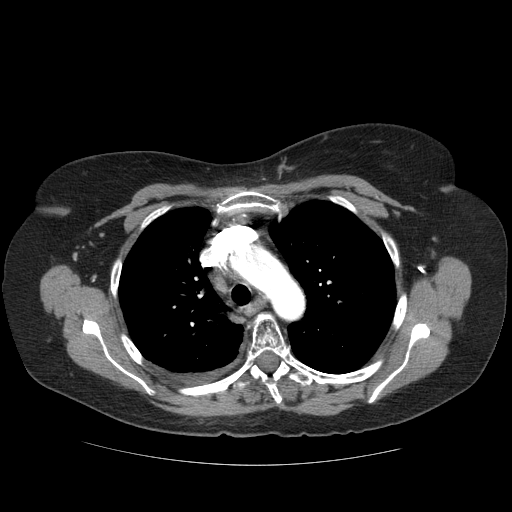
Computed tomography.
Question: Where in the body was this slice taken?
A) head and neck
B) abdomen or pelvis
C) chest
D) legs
Answer: C) chest
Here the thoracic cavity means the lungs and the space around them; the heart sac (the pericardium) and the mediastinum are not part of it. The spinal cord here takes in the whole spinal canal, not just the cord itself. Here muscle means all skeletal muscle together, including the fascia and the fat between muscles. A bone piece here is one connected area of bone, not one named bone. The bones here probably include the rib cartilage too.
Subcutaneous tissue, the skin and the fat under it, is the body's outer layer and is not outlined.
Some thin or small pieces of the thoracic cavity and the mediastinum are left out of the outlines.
{"mediastinum":[[[210,208],[228,216],[245,216],[252,210],[276,215],[277,219],[267,225],[268,233],[305,295],[303,316],[287,326],[286,335],[268,311],[258,313],[247,325],[250,333],[227,316],[230,309],[214,289],[208,276],[210,269],[199,261],[213,217]]],"bones":[{"outer":[[262,312],[273,315],[291,353],[313,369],[343,374],[380,358],[383,363],[369,377],[347,384],[301,385],[286,374],[276,384],[279,404],[247,372],[240,379],[249,383],[241,389],[230,385],[222,392],[182,394],[179,387],[217,381],[243,363],[248,325]],"hole":[[265,351],[270,351],[271,352],[272,352],[277,356],[277,357],[279,360],[278,361],[278,365],[277,366],[277,367],[271,373],[267,373],[266,372],[265,372],[263,370],[262,370],[260,368],[260,367],[258,364],[258,357],[263,352],[264,352]]},[[252,188],[278,199],[282,202],[293,202],[295,204],[280,220],[278,220],[277,215],[275,213],[269,211],[261,212],[252,209],[247,210],[244,213],[245,215],[241,213],[236,213],[233,215],[217,213],[211,208],[217,203],[224,200],[230,194],[239,189]],[[417,323],[425,323],[428,326],[429,328],[429,336],[426,338],[420,338],[413,344],[410,350],[409,357],[406,365],[381,390],[378,394],[377,398],[372,403],[367,403],[366,401],[371,395],[375,387],[403,362],[410,339],[412,327]],[[85,318],[93,320],[98,324],[101,336],[110,356],[126,370],[141,378],[151,388],[155,390],[156,392],[153,395],[148,394],[145,391],[144,388],[135,379],[122,372],[106,357],[102,346],[98,338],[95,335],[83,332],[82,325],[83,324],[83,320]],[[378,226],[380,226],[384,230],[387,231],[393,237],[395,241],[395,243],[396,244],[396,246],[398,250],[398,254],[399,255],[399,266],[396,270],[395,270],[394,265],[390,258],[390,256],[380,236],[380,231],[379,230],[379,228]],[[403,291],[405,292],[407,295],[407,307],[406,308],[406,311],[405,312],[405,316],[400,326],[397,330],[395,331],[394,330],[390,330],[389,331],[390,329],[390,326],[393,319],[393,316],[394,315],[395,308],[397,304],[397,300],[399,296]],[[119,254],[121,255],[121,258],[122,259],[122,266],[121,267],[121,272],[120,273],[120,276],[119,277],[119,284],[118,285],[118,288],[117,289],[117,299],[115,299],[113,297],[112,293],[110,290],[110,269],[111,268],[111,266],[112,265],[113,261]],[[122,332],[125,333],[130,338],[134,345],[137,348],[137,349],[140,352],[140,353],[143,356],[143,357],[146,360],[150,362],[147,362],[146,361],[144,363],[144,365],[140,365],[138,363],[134,361],[131,358],[131,357],[125,349],[120,339],[120,334]],[[172,202],[174,202],[175,204],[171,209],[162,215],[154,219],[147,226],[146,226],[138,235],[138,232],[139,231],[139,228],[141,225],[141,223],[144,218],[148,214],[160,206],[164,204],[167,204],[168,203],[171,203]],[[331,192],[334,192],[335,194],[340,195],[347,199],[355,207],[355,208],[357,210],[359,214],[363,218],[365,222],[364,222],[360,218],[359,218],[355,214],[354,214],[348,209],[338,204],[336,204],[332,202],[330,200],[325,199],[326,195]]],"torso":[[[364,122],[413,127],[442,142],[455,161],[455,183],[484,200],[504,228],[505,313],[489,360],[466,391],[411,420],[362,433],[198,437],[125,424],[30,376],[6,313],[3,264],[50,172],[76,158],[124,150],[245,162],[316,133]]],"muscle":[{"outer":[[323,173],[346,173],[356,175],[402,204],[410,205],[415,208],[417,212],[396,209],[386,221],[387,226],[400,246],[405,260],[410,266],[411,264],[415,266],[420,265],[422,267],[424,265],[430,272],[435,268],[437,260],[443,255],[452,255],[460,258],[469,266],[472,277],[469,299],[454,329],[449,343],[449,352],[442,363],[433,372],[399,388],[395,392],[373,403],[382,390],[407,365],[414,344],[418,340],[426,339],[430,336],[429,326],[425,322],[417,322],[411,327],[402,362],[374,387],[365,401],[366,404],[354,405],[337,414],[329,416],[297,414],[275,407],[243,415],[195,417],[164,410],[150,402],[137,391],[124,389],[111,380],[79,366],[68,355],[60,326],[54,321],[51,315],[45,312],[41,302],[39,294],[40,279],[44,272],[52,265],[64,263],[79,274],[83,283],[105,289],[110,264],[126,234],[123,230],[122,223],[118,219],[112,219],[90,230],[89,228],[101,218],[127,204],[136,191],[146,185],[158,182],[172,184],[192,182],[203,186],[260,184],[265,182],[286,182]],"holes":[[[252,188],[285,203],[324,200],[327,194],[334,192],[347,199],[378,236],[380,226],[393,237],[399,255],[399,266],[394,271],[396,296],[398,298],[405,292],[407,307],[398,329],[387,332],[367,362],[368,365],[383,359],[381,366],[369,377],[347,384],[313,381],[301,385],[286,374],[276,384],[282,398],[277,404],[268,388],[246,372],[240,379],[248,380],[249,383],[241,389],[230,385],[222,392],[193,396],[178,391],[179,387],[187,385],[185,383],[170,377],[151,362],[140,365],[125,349],[120,334],[129,334],[119,299],[115,299],[110,290],[110,269],[119,254],[124,261],[138,237],[144,218],[153,210],[172,202],[175,203],[173,209],[186,206],[211,208],[239,189]],[[85,318],[93,320],[98,324],[101,336],[110,356],[126,370],[141,378],[151,388],[155,390],[156,392],[153,395],[148,394],[145,391],[144,388],[135,379],[122,372],[106,357],[102,346],[98,338],[95,335],[83,332],[82,325],[83,324],[83,320]]]}],"thoracic_cavity":[[[311,199],[330,201],[348,210],[365,223],[380,237],[394,268],[397,299],[389,329],[365,365],[343,373],[321,371],[304,363],[292,353],[291,345],[285,337],[288,326],[303,318],[306,310],[306,295],[271,237],[268,225],[274,219],[279,222],[296,203]],[[186,206],[204,206],[211,211],[198,261],[203,268],[209,269],[207,276],[211,285],[229,309],[228,319],[241,324],[244,333],[250,334],[244,360],[237,368],[217,380],[196,385],[170,377],[144,357],[129,336],[118,298],[123,262],[138,236],[157,218]]],"spinal_cord":[[[265,351],[270,351],[271,352],[272,352],[277,356],[277,357],[279,360],[278,361],[278,365],[277,366],[277,367],[271,373],[267,373],[266,372],[265,372],[263,370],[262,370],[260,368],[260,367],[258,364],[258,357],[263,352],[264,352]]]}